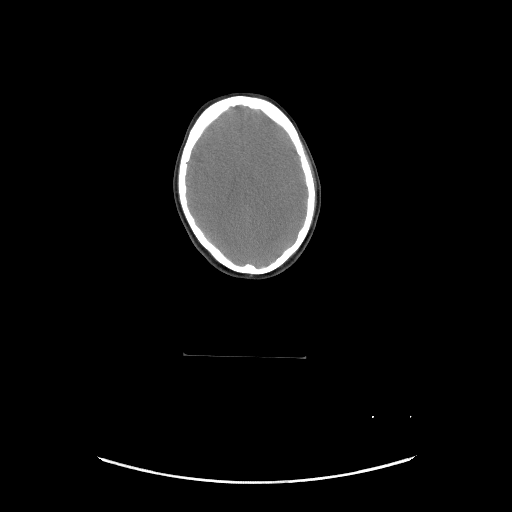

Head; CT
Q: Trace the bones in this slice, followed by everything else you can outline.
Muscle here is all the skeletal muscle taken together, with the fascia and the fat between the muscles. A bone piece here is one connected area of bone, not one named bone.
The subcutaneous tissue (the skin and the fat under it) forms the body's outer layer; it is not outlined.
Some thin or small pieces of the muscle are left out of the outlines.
A: The bones are outlined by (234, 95) (253, 96) (268, 100) (276, 105) (290, 119) (296, 128) (303, 145) (312, 173) (316, 193) (312, 222) (300, 246) (280, 266) (271, 271) (260, 274) (234, 271) (218, 262) (194, 235) (185, 218) (178, 196) (177, 176) (179, 162) (191, 127) (201, 112) (210, 104), around a hole outlined by (238, 106) (262, 112) (284, 130) (298, 156) (299, 165) (303, 174) (306, 188) (305, 214) (294, 240) (273, 260) (267, 264) (260, 266) (250, 262) (240, 264) (230, 259) (206, 236) (198, 225) (190, 210) (187, 198) (186, 178) (188, 163) (196, 143) (208, 126) (230, 108). The head is outlined by (235, 91) (251, 91) (266, 94) (278, 101) (291, 114) (309, 146) (321, 182) (321, 210) (315, 231) (307, 247) (295, 263) (285, 271) (261, 280) (231, 277) (210, 265) (194, 247) (188, 237) (176, 211) (172, 193) (172, 175) (176, 155) (186, 127) (193, 114) (207, 100). The brain is outlined by (238, 106) (262, 112) (284, 130) (298, 156) (299, 165) (303, 174) (306, 188) (305, 214) (294, 240) (273, 260) (267, 264) (260, 266) (250, 262) (240, 264) (230, 259) (206, 236) (198, 225) (190, 210) (187, 198) (186, 178) (188, 163) (196, 143) (208, 126) (230, 108). The muscle is outlined by (304, 145) (306, 149) (306, 151) (308, 154) (308, 156) (310, 159) (310, 161) (314, 171) (314, 175) (316, 180) (316, 192) (316, 188) (315, 187) (315, 182) (313, 177) (313, 173) (312, 172) (311, 166) (308, 160) (307, 155) (305, 152).